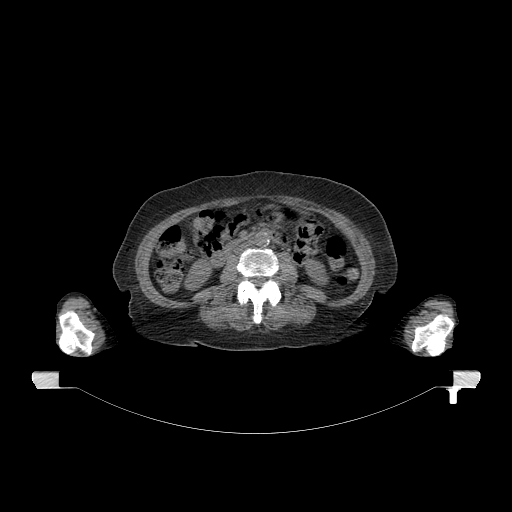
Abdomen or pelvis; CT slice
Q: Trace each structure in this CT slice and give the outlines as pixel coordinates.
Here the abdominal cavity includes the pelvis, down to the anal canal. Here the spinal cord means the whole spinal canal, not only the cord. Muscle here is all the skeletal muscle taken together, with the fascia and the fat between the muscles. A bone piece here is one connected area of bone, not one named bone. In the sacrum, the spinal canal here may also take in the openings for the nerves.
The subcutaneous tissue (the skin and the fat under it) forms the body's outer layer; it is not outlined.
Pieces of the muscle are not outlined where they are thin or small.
A: {"abdominal_cavity":[[[255,199],[285,203],[326,217],[349,240],[357,257],[360,274],[354,289],[342,297],[329,297],[317,287],[298,283],[298,270],[287,252],[252,246],[238,257],[230,255],[219,274],[219,283],[188,300],[159,291],[150,276],[150,258],[168,228],[202,209]]],"spinal_cord":[[[259,276],[261,276],[262,277],[265,277],[266,278],[266,279],[265,280],[265,281],[262,284],[262,285],[260,287],[256,287],[255,286],[255,285],[250,280],[250,278],[251,278],[252,277],[258,277]]],"torso":[[[255,170],[326,177],[353,187],[378,208],[393,241],[398,272],[395,284],[385,294],[377,294],[363,314],[372,316],[365,331],[326,346],[262,351],[170,345],[138,334],[127,311],[130,296],[119,291],[112,276],[112,264],[141,204],[160,190],[200,177]]],"muscle":[{"outer":[[258,194],[266,194],[267,195],[289,195],[290,196],[300,197],[304,199],[313,201],[320,204],[322,206],[340,212],[348,217],[362,230],[363,233],[368,239],[371,246],[372,252],[375,259],[375,264],[376,265],[375,266],[375,270],[376,272],[374,275],[374,278],[371,286],[367,291],[366,294],[361,299],[352,304],[349,304],[345,306],[341,306],[335,308],[326,308],[325,310],[318,315],[311,323],[309,323],[301,327],[298,327],[296,329],[292,329],[286,331],[277,331],[272,329],[268,329],[266,327],[260,325],[255,325],[248,330],[237,331],[234,329],[224,329],[223,330],[214,330],[211,329],[207,327],[202,322],[197,321],[196,320],[196,317],[194,314],[192,313],[192,311],[189,308],[182,309],[181,308],[167,308],[166,307],[159,306],[151,302],[143,294],[138,286],[138,280],[136,277],[136,273],[134,268],[134,259],[137,251],[137,248],[142,238],[149,229],[171,214],[188,207],[199,205],[202,203],[219,198],[227,198],[228,197],[236,197],[237,196],[248,196],[249,195],[257,195]],"hole":[[255,199],[285,203],[326,217],[349,240],[357,257],[360,274],[354,289],[332,298],[317,287],[298,283],[298,270],[290,255],[282,251],[275,254],[279,268],[273,276],[281,298],[274,306],[268,300],[262,304],[260,323],[253,322],[252,302],[249,299],[240,304],[237,299],[237,285],[243,277],[236,268],[239,258],[233,254],[219,274],[219,283],[190,299],[174,299],[159,291],[150,276],[150,258],[168,228],[202,209]]},[[70,297],[82,297],[89,303],[89,308],[90,310],[99,321],[105,333],[105,341],[98,349],[93,352],[93,346],[92,343],[95,337],[95,333],[92,330],[85,326],[80,319],[79,315],[74,310],[70,309],[64,312],[59,313],[63,305],[63,303]],[[432,299],[448,301],[452,306],[455,321],[446,313],[440,312],[437,313],[428,322],[421,325],[416,325],[413,329],[413,338],[410,344],[410,348],[403,339],[404,338],[403,333],[405,325],[408,322],[411,316],[416,315],[424,307],[424,304],[427,301]]],"left_arm":[[[439,293],[446,294],[452,297],[455,300],[457,306],[459,323],[453,328],[454,340],[452,347],[448,351],[446,351],[439,356],[421,357],[412,355],[408,353],[402,347],[392,343],[390,341],[390,336],[399,320],[410,309],[417,305],[423,299],[430,295]]],"bones":[{"outer":[[252,247],[271,249],[277,256],[279,265],[273,279],[278,284],[281,298],[274,306],[268,300],[262,304],[262,319],[260,323],[253,322],[252,302],[249,299],[246,303],[240,304],[236,296],[237,285],[243,277],[237,270],[236,265],[240,254],[245,249]],"hole":[[259,276],[261,276],[262,277],[265,277],[266,278],[266,279],[265,280],[265,281],[262,284],[262,285],[260,287],[256,287],[255,286],[255,285],[250,280],[250,278],[251,278],[252,277],[258,277]]},[[440,313],[446,314],[454,322],[454,327],[453,329],[445,338],[445,349],[438,355],[430,355],[424,348],[420,351],[416,351],[415,352],[412,351],[411,349],[411,344],[414,338],[414,329],[415,327],[416,326],[421,326],[428,323],[431,321],[437,314]],[[70,310],[74,311],[78,315],[79,319],[84,326],[94,333],[94,337],[91,343],[92,352],[89,355],[86,355],[79,348],[77,348],[74,353],[68,354],[62,351],[58,345],[58,339],[61,333],[61,328],[59,325],[58,316],[59,314],[64,313]]],"right_arm":[[[70,291],[79,291],[87,295],[91,299],[94,305],[106,317],[109,324],[114,330],[118,340],[118,343],[115,346],[109,349],[106,349],[96,355],[81,358],[67,355],[55,343],[54,317],[56,311],[56,304],[58,300],[64,294]]]}